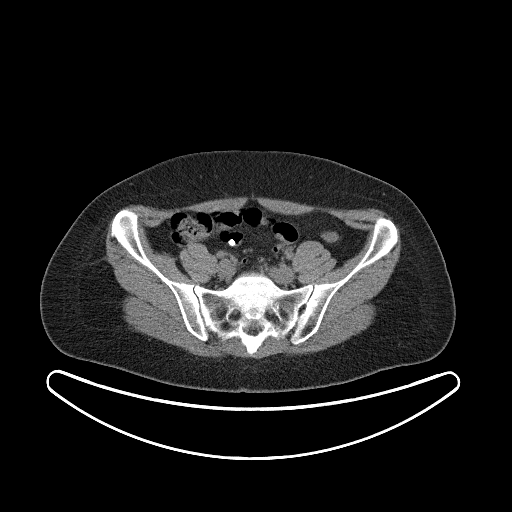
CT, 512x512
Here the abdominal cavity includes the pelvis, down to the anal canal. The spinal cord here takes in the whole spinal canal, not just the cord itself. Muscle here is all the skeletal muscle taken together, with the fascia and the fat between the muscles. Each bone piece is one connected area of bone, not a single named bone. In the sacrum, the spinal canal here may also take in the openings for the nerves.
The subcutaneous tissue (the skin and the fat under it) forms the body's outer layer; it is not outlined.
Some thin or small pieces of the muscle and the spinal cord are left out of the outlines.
{"bones":[{"outer":[[122,208],[137,214],[143,250],[167,278],[213,290],[252,271],[285,290],[338,281],[368,249],[380,216],[394,223],[398,239],[334,293],[306,340],[293,344],[289,335],[269,336],[249,354],[238,337],[203,341],[187,329],[171,289],[111,235]],"holes":[[[267,309],[272,309],[275,312],[275,313],[277,315],[277,318],[275,320],[269,320],[266,317],[266,315],[265,314],[265,311]],[[250,326],[259,326],[261,328],[261,329],[256,334],[255,334],[254,335],[253,335],[252,334],[250,334],[249,333],[248,333],[247,332],[246,332],[245,331],[245,329],[246,328],[247,328],[248,327],[249,327]],[[234,309],[236,309],[240,313],[240,314],[241,315],[241,317],[239,319],[233,319],[231,317],[231,315],[232,314],[232,311]]]}],"torso":[[[233,149],[292,151],[328,158],[377,177],[404,192],[430,226],[451,280],[456,317],[445,348],[428,361],[381,370],[346,383],[268,393],[221,392],[174,386],[70,357],[59,351],[42,325],[40,286],[51,255],[85,206],[108,187],[158,162],[188,153]]],"spinal_cord":[[[267,309],[272,309],[275,312],[275,313],[277,315],[277,318],[275,320],[269,320],[266,317],[266,315],[265,314],[265,311]],[[234,309],[236,309],[240,313],[240,314],[241,315],[241,317],[239,319],[233,319],[231,317],[231,315],[232,314],[232,311]]],"abdominal_cavity":[[[250,200],[284,215],[327,213],[364,230],[365,240],[337,267],[319,241],[300,243],[291,260],[298,287],[282,288],[252,270],[222,289],[208,288],[203,285],[218,266],[205,245],[180,251],[184,273],[175,257],[153,249],[147,228],[178,211],[227,212]]],"muscle":[[[251,194],[324,207],[377,208],[393,218],[400,228],[401,249],[398,262],[387,283],[371,300],[376,307],[373,322],[360,333],[323,350],[301,355],[278,353],[261,358],[195,355],[132,330],[122,317],[121,301],[126,292],[116,281],[112,267],[104,258],[106,230],[113,216],[110,235],[170,289],[186,329],[203,342],[211,336],[222,342],[238,338],[249,355],[255,353],[269,337],[280,340],[289,336],[293,345],[306,341],[319,329],[335,293],[353,275],[385,256],[395,246],[399,239],[398,229],[389,217],[380,215],[373,224],[367,249],[346,275],[332,282],[304,284],[292,269],[292,260],[300,244],[306,241],[319,242],[335,260],[333,267],[337,268],[360,251],[367,232],[352,227],[327,212],[313,210],[300,214],[284,214],[250,199],[239,208],[227,211],[178,210],[157,225],[148,226],[146,236],[152,249],[175,258],[177,267],[184,274],[187,273],[179,256],[182,250],[192,244],[205,246],[216,260],[215,272],[202,285],[170,279],[144,250],[138,230],[138,214],[131,208],[124,207],[142,204],[171,209]]]}